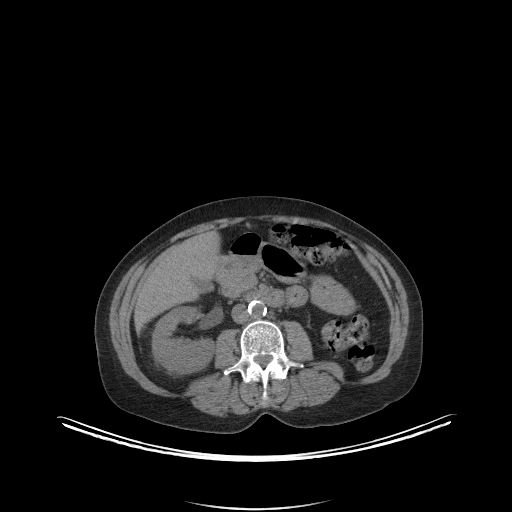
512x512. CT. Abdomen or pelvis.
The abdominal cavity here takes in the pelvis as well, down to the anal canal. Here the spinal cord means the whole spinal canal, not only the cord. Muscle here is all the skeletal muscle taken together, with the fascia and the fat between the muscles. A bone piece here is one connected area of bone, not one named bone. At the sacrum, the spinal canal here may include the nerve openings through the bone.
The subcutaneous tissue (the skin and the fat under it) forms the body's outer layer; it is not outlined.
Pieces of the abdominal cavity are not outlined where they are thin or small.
{"bones":[{"outer":[[256,320],[275,323],[282,332],[287,357],[303,364],[303,367],[291,366],[284,379],[270,377],[266,387],[268,398],[264,401],[262,399],[263,385],[260,381],[252,380],[246,383],[238,371],[230,372],[227,375],[223,373],[240,358],[239,339],[243,328]],"hole":[[258,355],[270,355],[272,357],[272,358],[271,359],[271,360],[265,366],[265,367],[262,367],[258,363],[257,363],[254,360],[254,358],[256,356],[257,356]]}],"spinal_cord":[[[258,355],[270,355],[272,357],[272,358],[271,359],[271,360],[265,366],[265,367],[262,367],[258,363],[257,363],[254,360],[254,358],[256,356],[257,356]]],"muscle":[{"outer":[[264,214],[302,216],[303,217],[318,219],[327,222],[332,225],[336,226],[338,228],[342,229],[344,231],[353,235],[358,239],[373,247],[377,250],[392,266],[400,278],[406,292],[407,303],[409,309],[409,322],[408,323],[408,331],[407,332],[405,344],[402,353],[399,358],[392,365],[389,374],[381,380],[373,383],[369,383],[363,385],[357,385],[356,386],[344,386],[336,393],[334,397],[331,400],[327,402],[320,408],[303,409],[302,410],[290,410],[289,411],[282,412],[273,409],[271,407],[262,407],[257,409],[251,414],[246,414],[239,417],[221,417],[220,416],[209,415],[200,411],[186,400],[181,400],[180,399],[175,399],[170,397],[161,396],[152,393],[141,387],[139,383],[128,375],[122,368],[121,364],[118,359],[117,354],[114,349],[113,344],[111,341],[111,336],[110,335],[110,328],[109,327],[110,306],[115,290],[123,276],[130,267],[135,263],[140,257],[149,252],[155,247],[180,231],[182,231],[194,225],[207,221],[211,221],[215,219],[226,218],[227,217],[248,216],[249,215],[263,215]],"hole":[[252,219],[343,235],[389,313],[374,371],[346,379],[340,363],[314,359],[298,321],[284,319],[284,351],[303,367],[270,377],[264,401],[260,381],[223,373],[241,355],[234,327],[215,338],[217,369],[184,390],[144,373],[131,315],[151,270],[187,237]]}],"torso":[[[244,195],[279,195],[322,204],[372,231],[398,255],[414,278],[423,307],[421,370],[405,396],[341,424],[298,428],[264,414],[248,428],[230,434],[160,424],[126,412],[109,399],[98,371],[93,327],[97,300],[112,269],[140,239],[175,215],[209,201]]],"abdominal_cavity":[[[252,219],[314,224],[343,235],[389,313],[387,353],[374,371],[346,379],[340,363],[314,359],[298,321],[282,320],[282,331],[271,320],[256,319],[240,334],[234,327],[223,329],[215,338],[217,369],[182,391],[144,373],[131,315],[151,270],[187,237]]]}